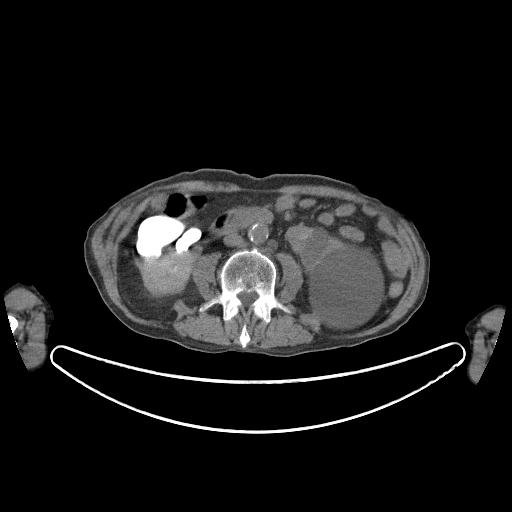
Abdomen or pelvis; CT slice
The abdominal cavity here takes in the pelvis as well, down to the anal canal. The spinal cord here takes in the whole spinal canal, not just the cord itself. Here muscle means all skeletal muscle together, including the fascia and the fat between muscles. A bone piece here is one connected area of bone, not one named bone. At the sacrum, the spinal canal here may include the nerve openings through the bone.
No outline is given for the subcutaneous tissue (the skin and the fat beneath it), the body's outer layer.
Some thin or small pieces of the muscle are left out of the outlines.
{"left_arm":[[[494,303],[503,303],[505,305],[505,311],[503,314],[499,333],[497,336],[495,345],[493,348],[491,355],[477,383],[474,385],[469,381],[466,375],[466,366],[470,356],[470,348],[469,347],[468,338],[464,331],[464,328],[466,323],[470,319],[480,311]]],"spinal_cord":[[[241,292],[247,292],[248,293],[249,292],[255,292],[257,294],[257,298],[256,299],[255,299],[248,306],[244,306],[243,305],[243,304],[242,303],[242,302],[240,300],[240,299],[237,296],[237,295],[239,293],[240,293]]],"right_arm":[[[16,282],[34,285],[39,292],[49,302],[54,315],[47,339],[47,349],[48,350],[47,358],[42,367],[33,372],[28,371],[22,359],[22,356],[20,354],[16,344],[14,334],[12,333],[12,330],[10,327],[6,304],[4,301],[4,291]]],"abdominal_cavity":[[[170,189],[366,204],[405,251],[406,288],[380,322],[333,333],[293,303],[304,277],[290,253],[275,255],[275,290],[267,255],[233,252],[217,271],[220,290],[213,251],[191,268],[199,305],[177,299],[172,319],[142,317],[117,287],[120,244],[147,201]]],"muscle":[{"outer":[[191,180],[204,180],[205,181],[212,181],[213,182],[217,181],[228,182],[236,184],[244,188],[249,188],[250,189],[276,189],[288,185],[321,185],[322,186],[330,186],[331,187],[339,188],[343,190],[351,191],[367,198],[370,201],[376,204],[380,204],[386,206],[407,220],[407,222],[411,230],[419,243],[424,256],[425,267],[424,268],[423,282],[420,289],[420,292],[415,302],[402,317],[390,325],[371,334],[359,337],[355,337],[354,338],[331,338],[330,337],[317,338],[314,341],[312,341],[309,343],[303,343],[293,346],[290,345],[289,346],[272,347],[267,349],[256,348],[255,347],[246,347],[248,345],[251,337],[247,329],[247,324],[245,322],[242,325],[238,336],[238,341],[241,347],[240,347],[237,345],[219,345],[204,341],[188,340],[181,337],[167,328],[159,328],[153,326],[148,326],[137,323],[131,320],[111,300],[105,289],[103,278],[100,273],[99,268],[91,250],[91,238],[97,227],[102,223],[112,210],[122,201],[124,201],[153,187],[157,187],[162,185],[167,185],[183,181],[190,181]],"hole":[[170,189],[366,204],[405,251],[406,288],[380,322],[333,333],[293,303],[304,277],[294,257],[280,251],[274,295],[291,313],[275,307],[267,323],[241,311],[224,320],[219,303],[199,311],[177,299],[172,319],[142,317],[117,287],[120,244],[147,201]]},[[19,287],[29,290],[45,306],[45,334],[44,335],[45,354],[40,363],[28,369],[22,359],[22,356],[20,354],[16,344],[16,340],[14,337],[15,330],[17,328],[19,322],[16,317],[7,312],[6,304],[4,301],[5,295],[8,294],[12,290]],[[496,308],[505,309],[505,311],[503,314],[499,333],[497,336],[495,342],[495,345],[493,348],[491,355],[477,383],[475,380],[471,377],[469,372],[469,368],[473,357],[473,340],[475,334],[475,325],[483,314],[486,312],[489,312]],[[213,252],[219,252],[221,256],[215,268],[215,272],[214,273],[217,288],[220,292],[218,294],[211,297],[208,300],[203,302],[204,300],[198,292],[198,290],[196,288],[196,285],[192,278],[192,268],[194,264],[196,263],[199,256],[204,254],[209,254]]],"bones":[{"outer":[[252,248],[256,248],[275,264],[274,295],[292,312],[288,313],[275,307],[271,310],[270,320],[266,323],[252,312],[246,317],[241,311],[230,319],[224,320],[222,306],[219,303],[199,311],[199,307],[203,303],[221,292],[218,271],[227,258],[239,250]],"hole":[[241,292],[247,292],[248,293],[249,292],[255,292],[257,294],[257,298],[256,299],[255,299],[248,306],[244,306],[243,305],[243,304],[242,303],[242,302],[240,300],[240,299],[237,296],[237,295],[239,293],[240,293]]},[[245,323],[246,324],[246,329],[247,330],[247,332],[249,334],[250,339],[249,340],[247,345],[245,347],[242,347],[241,346],[241,345],[240,344],[240,342],[239,341],[239,336],[240,335],[240,333],[241,332],[242,327],[243,326],[243,325]],[[8,314],[10,314],[12,316],[13,316],[15,318],[16,318],[16,319],[18,322],[18,324],[17,325],[17,326],[16,327],[16,328],[14,330],[14,333],[12,333],[12,330],[10,327],[10,323],[9,322],[9,320],[8,319]]],"torso":[[[201,167],[227,168],[258,177],[270,173],[326,175],[351,182],[366,194],[401,210],[416,226],[430,255],[429,284],[423,303],[390,334],[349,347],[286,357],[236,351],[207,353],[134,332],[106,306],[87,271],[83,253],[87,229],[123,195],[154,180]]]}